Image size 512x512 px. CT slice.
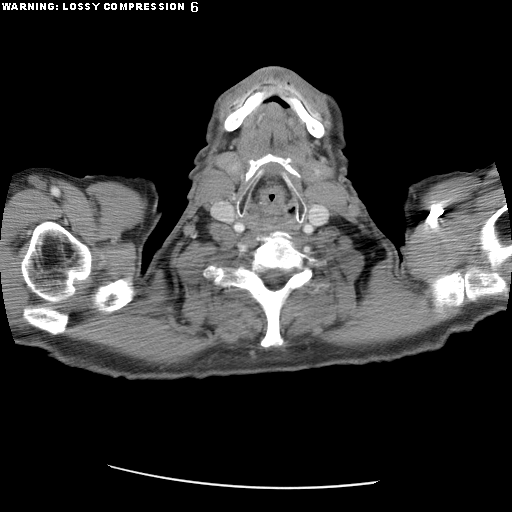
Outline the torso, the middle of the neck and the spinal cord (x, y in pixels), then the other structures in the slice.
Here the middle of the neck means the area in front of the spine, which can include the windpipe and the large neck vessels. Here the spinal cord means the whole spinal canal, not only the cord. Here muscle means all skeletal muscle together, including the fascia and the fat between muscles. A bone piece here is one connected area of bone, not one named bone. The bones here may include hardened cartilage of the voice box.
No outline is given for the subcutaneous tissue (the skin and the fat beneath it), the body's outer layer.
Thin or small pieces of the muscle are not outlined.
The torso appears in 2 outlined pieces: piece 1: [[167,235],[165,250],[181,284],[183,298],[195,329],[203,340],[212,344],[224,355],[242,367],[259,373],[211,376],[203,379],[128,380],[123,377],[113,378],[66,366],[47,356],[40,349],[31,347],[103,316],[142,263],[142,269],[146,269],[154,252]]; piece 2: [[380,229],[398,248],[399,261],[412,286],[417,291],[472,326],[473,329],[470,332],[453,334],[441,349],[433,352],[425,352],[413,356],[407,356],[391,362],[373,362],[363,365],[333,365],[303,370],[329,334],[352,311],[355,310],[361,304],[379,263]]. The middle of the neck is outlined by [[270,166],[279,170],[292,196],[296,207],[295,219],[301,223],[307,210],[317,204],[327,209],[325,224],[310,234],[304,233],[301,225],[294,229],[270,227],[261,232],[246,227],[238,233],[208,214],[216,201],[229,200],[235,214],[242,218],[258,180]]. The spinal cord is outlined by [[268,269],[280,269],[281,270],[283,270],[284,271],[289,273],[289,276],[288,277],[288,278],[283,284],[283,285],[280,288],[279,288],[278,289],[270,289],[264,283],[264,282],[261,278],[259,273],[261,273],[265,270],[267,270]]. The muscle is outlined by [[267,69],[294,75],[326,100],[336,174],[399,266],[414,195],[446,178],[497,171],[505,202],[476,233],[481,262],[464,272],[429,277],[425,292],[441,311],[461,306],[466,298],[506,300],[382,345],[300,344],[259,361],[250,360],[243,348],[220,346],[187,363],[147,364],[88,342],[37,330],[11,332],[0,282],[9,183],[38,173],[81,189],[117,181],[140,192],[148,204],[135,246],[145,272],[195,202],[221,101]] with holes at [[275,230],[289,233],[294,246],[317,259],[319,266],[311,267],[311,280],[292,290],[280,310],[283,344],[265,348],[260,344],[267,328],[261,306],[244,289],[216,285],[212,278],[203,275],[203,270],[209,265],[235,266],[247,260],[262,242],[257,237]] and at [[267,153],[290,158],[289,164],[300,177],[288,176],[308,210],[315,204],[327,209],[325,224],[310,234],[304,233],[301,225],[294,229],[270,227],[261,232],[246,227],[238,233],[208,214],[218,200],[229,200],[236,207],[256,177],[245,180],[249,160]] and at [[44,221],[53,221],[63,226],[82,243],[85,244],[89,248],[91,253],[91,271],[89,275],[83,280],[76,280],[74,282],[75,292],[66,299],[58,302],[52,302],[46,300],[34,293],[26,284],[21,272],[20,263],[28,248],[32,232],[38,224]] and at [[277,84],[287,87],[301,101],[310,114],[316,118],[320,118],[325,131],[321,137],[317,138],[310,134],[297,114],[278,95],[272,95],[265,99],[236,129],[232,131],[226,131],[224,129],[223,124],[226,117],[242,104],[249,95],[260,91],[267,86]] and at [[129,276],[132,278],[133,287],[135,290],[135,294],[131,301],[119,309],[111,312],[104,312],[103,311],[100,311],[94,307],[92,301],[92,295],[97,290],[97,288],[99,286],[105,285],[109,282],[114,281],[119,278],[123,278]] and at [[26,306],[29,306],[30,307],[33,306],[51,307],[55,310],[67,314],[68,315],[68,320],[67,321],[67,324],[65,330],[62,333],[59,333],[54,335],[45,330],[42,330],[29,324],[23,318],[23,309],[24,307]]. The left arm is outlined by [[491,162],[494,163],[499,176],[505,204],[511,219],[511,231],[509,233],[511,237],[511,281],[508,284],[505,310],[485,318],[474,327],[413,286],[399,255],[398,246],[404,240],[402,202],[407,188],[412,182],[435,173],[453,170],[471,171],[486,166]]. The bones appear in 7 outlined pieces: piece 1: [[275,230],[289,233],[294,246],[317,259],[319,266],[311,267],[311,280],[292,290],[280,310],[283,344],[265,348],[260,344],[267,328],[261,306],[244,289],[216,285],[212,278],[203,275],[203,270],[209,265],[235,266],[247,260],[262,242],[257,237]] with a hole at [[268,269],[280,269],[281,270],[283,270],[284,271],[289,273],[289,276],[288,277],[288,278],[283,284],[283,285],[280,288],[279,288],[278,289],[270,289],[264,283],[264,282],[261,278],[259,273],[261,273],[265,270],[267,270]]; piece 2: [[44,221],[53,221],[63,226],[82,243],[85,244],[89,248],[91,253],[91,271],[89,275],[83,280],[76,280],[74,282],[75,292],[66,299],[58,302],[52,302],[46,300],[34,293],[26,284],[21,272],[20,263],[28,248],[32,232],[38,224]]; piece 3: [[505,203],[511,219],[511,257],[498,270],[509,287],[507,299],[503,295],[485,296],[476,301],[470,301],[466,297],[459,306],[438,309],[426,292],[429,288],[427,280],[457,270],[464,273],[466,268],[480,264],[482,258],[477,233],[485,221]]; piece 4: [[277,84],[287,87],[301,101],[310,114],[316,118],[320,118],[325,131],[321,137],[317,138],[310,134],[297,114],[278,95],[272,95],[265,99],[236,129],[232,131],[226,131],[224,129],[223,124],[226,117],[242,104],[249,95],[260,91],[267,86]]; piece 5: [[267,153],[290,158],[289,164],[300,174],[300,177],[289,173],[288,176],[307,207],[301,222],[296,219],[296,203],[281,175],[284,169],[276,162],[262,166],[264,171],[257,180],[243,216],[236,214],[237,200],[256,177],[245,180],[249,160],[256,160]]; piece 6: [[129,276],[132,278],[133,287],[135,290],[135,294],[131,301],[119,309],[111,312],[104,312],[103,311],[100,311],[94,307],[92,301],[92,295],[97,290],[97,288],[99,286],[105,285],[109,282],[114,281],[119,278],[123,278]]; piece 7: [[26,306],[29,306],[30,307],[33,306],[51,307],[55,310],[67,314],[68,315],[68,320],[67,321],[67,324],[65,330],[62,333],[59,333],[54,335],[45,330],[42,330],[29,324],[23,318],[23,309],[24,307]]. The right arm is outlined by [[30,166],[51,167],[77,177],[91,174],[119,174],[149,178],[154,182],[158,191],[158,208],[162,210],[162,213],[144,245],[141,264],[103,315],[33,346],[25,346],[15,342],[5,314],[0,282],[0,231],[4,203],[12,176],[16,171]]. The head and neck is outlined by [[271,64],[293,70],[330,93],[339,104],[347,142],[343,150],[349,161],[347,177],[379,228],[379,255],[360,304],[328,334],[302,370],[260,373],[203,339],[188,310],[166,243],[187,205],[188,175],[194,155],[206,143],[204,132],[214,101],[255,70]].